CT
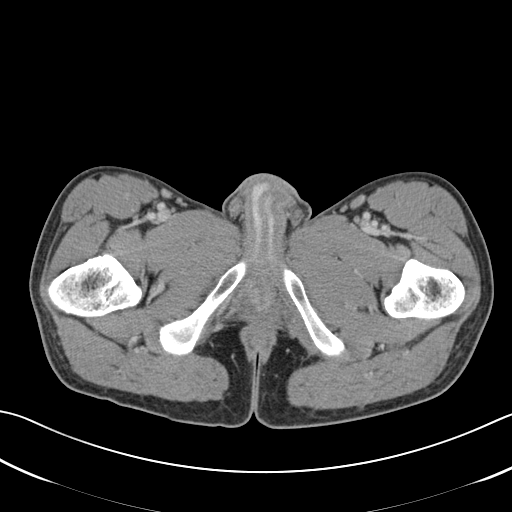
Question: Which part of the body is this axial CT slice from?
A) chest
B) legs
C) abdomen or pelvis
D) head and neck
Answer: C) abdomen or pelvis
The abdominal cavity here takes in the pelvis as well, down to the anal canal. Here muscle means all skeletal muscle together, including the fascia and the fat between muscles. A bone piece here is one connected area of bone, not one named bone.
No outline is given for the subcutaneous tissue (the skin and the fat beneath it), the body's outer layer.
{"abdominal_cavity":[[[260,281],[271,286],[275,295],[277,296],[277,301],[281,308],[283,319],[281,325],[277,327],[277,331],[275,332],[275,335],[273,336],[273,339],[268,347],[259,350],[250,350],[246,342],[248,321],[240,312],[240,304],[243,298],[248,294],[250,286]]],"torso":[[[98,165],[148,173],[217,209],[246,177],[270,172],[296,189],[313,216],[385,175],[427,171],[444,177],[471,209],[493,271],[492,308],[468,364],[427,402],[298,430],[270,429],[253,415],[234,429],[180,424],[70,391],[46,358],[28,280],[60,191]]],"muscle":[{"outer":[[101,172],[145,179],[170,206],[207,211],[251,234],[258,244],[355,209],[387,183],[412,177],[431,181],[447,190],[463,212],[479,267],[480,300],[434,382],[362,406],[291,405],[285,392],[288,376],[298,367],[315,364],[318,356],[308,355],[296,338],[279,330],[276,345],[255,377],[239,337],[243,320],[231,321],[194,350],[227,369],[229,387],[222,400],[169,400],[89,382],[62,360],[38,286],[64,201],[83,179]],"holes":[[[104,253],[108,253],[114,256],[129,272],[135,282],[141,288],[142,297],[140,301],[134,306],[127,307],[123,309],[117,309],[102,316],[95,316],[94,317],[80,317],[72,314],[65,313],[58,309],[49,296],[49,286],[52,281],[64,270]],[[410,258],[414,258],[431,266],[446,268],[453,272],[460,279],[465,289],[465,295],[462,303],[453,313],[441,318],[425,319],[417,317],[395,318],[389,315],[385,311],[383,305],[383,300],[391,291],[392,287],[399,280],[401,276],[402,268],[405,262]],[[241,260],[243,260],[247,264],[245,275],[209,317],[193,349],[189,353],[184,355],[175,355],[166,352],[162,348],[159,341],[160,326],[165,323],[168,323],[176,319],[181,319],[189,315],[205,299],[206,296],[216,285],[220,277],[230,267]],[[260,281],[271,286],[275,295],[277,296],[277,301],[281,308],[283,319],[281,325],[277,327],[277,331],[275,332],[275,335],[273,336],[273,339],[268,347],[259,350],[250,350],[246,342],[248,321],[240,312],[240,304],[243,298],[248,294],[250,286]],[[284,268],[287,268],[291,270],[301,280],[308,299],[318,315],[331,331],[343,341],[345,345],[345,350],[340,355],[338,356],[329,356],[326,355],[322,353],[314,344],[309,335],[309,333],[305,326],[304,321],[300,313],[287,292],[282,281],[282,270]]]}],"bones":[[[104,253],[108,253],[114,256],[129,272],[135,282],[141,288],[142,297],[140,301],[134,306],[127,307],[123,309],[117,309],[102,316],[95,316],[94,317],[80,317],[72,314],[65,313],[58,309],[49,296],[49,286],[52,281],[64,270]],[[410,258],[414,258],[431,266],[446,268],[453,272],[460,279],[465,289],[465,295],[462,303],[453,313],[441,318],[425,319],[417,317],[395,318],[389,315],[385,311],[383,305],[383,300],[391,291],[392,287],[399,280],[401,276],[402,268],[405,262]],[[241,260],[243,260],[247,264],[245,275],[209,317],[193,349],[189,353],[184,355],[175,355],[166,352],[162,348],[159,341],[160,326],[165,323],[168,323],[176,319],[181,319],[189,315],[205,299],[206,296],[216,285],[220,277],[230,267]],[[284,268],[287,268],[291,270],[301,280],[308,299],[318,315],[331,331],[343,341],[345,345],[345,350],[340,355],[338,356],[329,356],[326,355],[322,353],[314,344],[309,335],[309,333],[305,326],[304,321],[300,313],[287,292],[282,281],[282,270]]]}